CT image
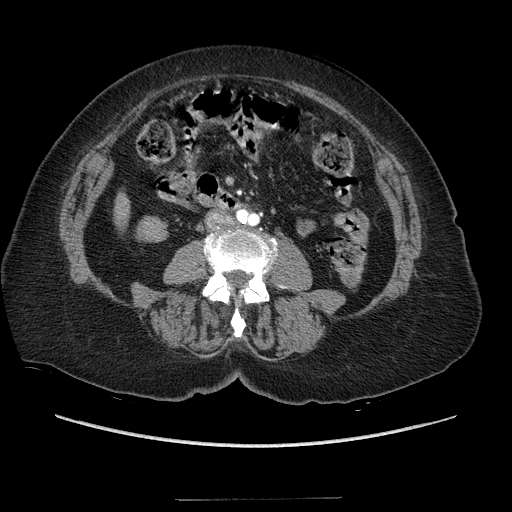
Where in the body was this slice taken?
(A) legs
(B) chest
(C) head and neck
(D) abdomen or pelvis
Answer: (D) abdomen or pelvis
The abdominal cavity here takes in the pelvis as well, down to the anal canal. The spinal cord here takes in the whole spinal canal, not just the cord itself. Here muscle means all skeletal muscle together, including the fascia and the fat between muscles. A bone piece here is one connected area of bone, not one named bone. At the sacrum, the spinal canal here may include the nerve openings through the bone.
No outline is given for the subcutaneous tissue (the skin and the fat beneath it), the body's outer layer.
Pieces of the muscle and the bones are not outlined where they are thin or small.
abdominal cavity: 227,78 269,82 305,96 367,141 396,242 387,282 363,307 336,314 345,296 311,289 301,250 262,229 226,228 191,240 165,267 167,288 135,281 129,302 90,268 84,230 115,173 111,153 118,139 168,92
bones: 236,228 262,230 277,240 277,255 270,270 263,276 270,299 266,302 244,304 241,307 241,315 246,325 240,337 232,334 230,320 233,306 221,301 211,301 201,293 209,276 213,273 203,252 203,239 212,232, around a hole outlined by 234,270 241,270 242,271 243,271 246,274 247,274 250,276 250,278 247,281 247,282 241,288 240,288 239,289 236,289 232,284 231,284 228,281 227,281 227,279 225,276 225,273 228,273 229,272 231,272
muscle: 208,74 228,75 239,74 249,76 269,77 280,80 291,80 323,92 349,110 369,129 378,140 396,155 407,169 411,182 413,184 413,191 418,205 419,214 421,216 422,230 425,235 422,238 421,253 415,261 415,267 411,273 412,277 409,282 409,287 407,292 404,295 401,295 390,301 377,311 368,315 367,317 332,328 328,332 326,337 319,343 317,348 304,356 299,356 293,359 284,361 280,360 275,362 258,358 247,351 240,351 236,349 232,350 229,353 223,351 221,354 208,359 201,359 191,355 184,356 177,352 174,353 150,336 146,327 135,316 123,309 111,305 85,287 79,287 70,278 69,263 60,243 58,235 59,231 58,218 61,202 66,190 65,188 69,182 69,178 74,171 77,163 83,155 84,156 88,155 92,150 94,144 111,130 112,126 117,124 130,109 144,98 148,92 159,89 167,84 178,81 183,78; inner edge: 227,78 305,96 367,141 396,242 363,307 336,314 345,296 311,289 287,237 263,276 270,299 240,309 240,337 233,306 201,293 202,239 174,252 166,289 135,281 129,302 90,268 84,230 118,139 168,92
spinal cord: 234,270 241,270 242,271 243,271 246,274 247,274 250,276 250,278 247,281 247,282 241,288 240,288 239,289 236,289 232,284 231,284 228,281 227,281 227,279 225,276 225,273 228,273 229,272 231,272
torso: 239,41 303,50 349,70 393,105 428,149 455,206 482,301 473,344 444,371 375,397 298,405 255,393 237,378 211,393 156,400 112,392 22,359 8,320 0,260 28,186 53,143 98,93 128,72 184,49